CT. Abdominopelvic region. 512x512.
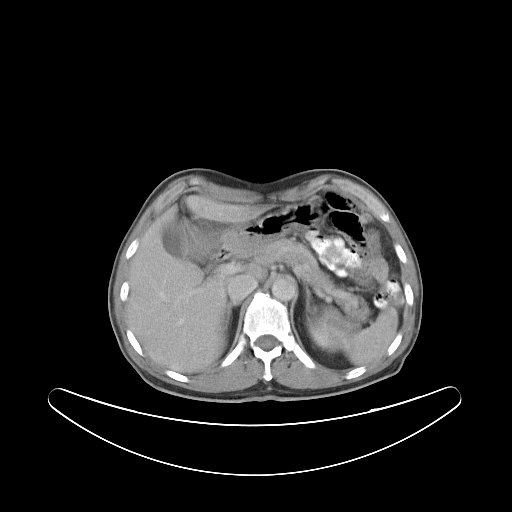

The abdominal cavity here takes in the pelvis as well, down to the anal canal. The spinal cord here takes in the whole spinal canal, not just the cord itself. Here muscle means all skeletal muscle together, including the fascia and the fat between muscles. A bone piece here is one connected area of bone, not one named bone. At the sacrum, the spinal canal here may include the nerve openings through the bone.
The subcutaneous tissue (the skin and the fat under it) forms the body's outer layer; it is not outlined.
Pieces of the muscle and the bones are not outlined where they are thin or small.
Outlines (x, y in pixels):
torso: (193, 167) (216, 169) (252, 181) (269, 181) (314, 168) (337, 168) (372, 185) (401, 222) (416, 253) (423, 284) (419, 333) (401, 369) (348, 393) (298, 401) (198, 401) (159, 391) (146, 383) (123, 356) (112, 329) (107, 308) (109, 277) (120, 242) (150, 192) (172, 173)
bones 1: (257, 291) (268, 293) (286, 306) (291, 331) (296, 342) (300, 349) (314, 361) (315, 368) (306, 367) (291, 351) (286, 353) (283, 350) (270, 362) (272, 378) (267, 381) (263, 378) (263, 361) (253, 354) (248, 344) (230, 364) (220, 366) (222, 360) (238, 342) (246, 309); inner edge: (263, 335) (271, 335) (272, 336) (273, 336) (275, 338) (276, 338) (277, 339) (277, 340) (279, 342) (279, 344) (278, 344) (277, 345) (274, 346) (271, 349) (270, 349) (269, 350) (264, 350) (259, 346) (256, 345) (256, 344) (255, 343) (256, 340) (260, 336) (262, 336)
bones 2: (332, 179) (339, 179) (344, 182) (357, 185) (366, 192) (371, 194) (378, 199) (386, 208) (390, 215) (390, 220) (388, 222) (385, 222) (378, 218) (372, 210) (359, 197) (347, 191) (344, 191) (337, 186) (336, 187) (330, 187) (330, 185) (332, 184) (331, 182)
bones 3: (178, 184) (182, 186) (182, 189) (181, 191) (179, 193) (171, 197) (167, 197) (165, 199) (165, 203) (164, 205) (160, 209) (157, 209) (156, 208) (156, 205) (158, 202) (158, 200) (164, 194) (165, 194) (166, 192) (167, 192) (175, 185) (177, 185)
bones 4: (128, 328) (129, 328) (131, 330) (131, 331) (135, 336) (137, 341) (139, 343) (139, 344) (140, 345) (140, 346) (144, 353) (144, 355) (140, 355) (134, 349) (134, 348) (131, 345) (131, 344) (127, 337) (127, 334) (126, 333) (126, 330)
bones 5: (406, 282) (407, 283) (408, 283) (410, 285) (410, 286) (411, 287) (411, 289) (412, 290) (412, 292) (413, 293) (413, 303) (411, 305) (408, 305) (406, 303) (405, 303) (405, 302) (404, 301) (404, 298) (405, 297) (405, 296) (404, 295) (404, 288) (403, 287) (403, 284)
bones 6: (360, 366) (365, 366) (365, 367) (366, 368) (365, 371) (362, 374) (361, 374) (356, 377) (354, 377) (353, 378) (350, 378) (349, 379) (347, 379) (344, 377) (344, 376) (348, 371) (349, 371) (351, 369) (352, 369) (353, 368) (356, 368) (357, 367) (359, 367)
bones 7: (165, 370) (172, 370) (173, 371) (174, 371) (175, 372) (177, 372) (180, 374) (185, 375) (188, 377) (188, 378) (190, 380) (190, 381) (189, 382) (184, 382) (183, 381) (179, 381) (176, 379) (174, 379) (173, 378) (170, 377) (168, 375) (167, 375) (164, 372) (164, 371)
bones 8: (398, 332) (400, 332) (401, 333) (401, 335) (402, 336) (401, 337) (401, 340) (400, 341) (400, 343) (398, 345) (398, 346) (396, 348) (396, 349) (390, 355) (388, 355) (387, 354) (387, 352) (386, 351) (387, 350) (388, 347) (390, 345) (390, 344) (396, 336) (396, 334)
bones 9: (394, 243) (398, 243) (402, 247) (402, 248) (405, 253) (406, 258) (407, 259) (407, 261) (406, 262) (406, 263) (403, 263) (402, 262) (401, 262) (400, 261) (400, 260) (398, 258) (398, 257) (396, 254) (396, 252) (394, 249) (394, 246) (393, 245) (394, 244)
bones 10: (134, 239) (138, 239) (139, 240) (139, 243) (137, 246) (137, 248) (136, 249) (135, 252) (131, 256) (131, 257) (130, 257) (129, 258) (126, 258) (126, 257) (125, 256) (125, 254) (126, 253) (126, 251) (127, 250) (127, 248) (129, 246) (129, 245) (131, 243) (131, 242)
bones 11: (125, 281) (127, 281) (128, 282) (128, 286) (129, 287) (129, 288) (128, 289) (128, 293) (127, 294) (127, 298) (125, 301) (123, 301) (122, 300) (121, 300) (121, 299) (120, 298) (120, 289) (121, 288) (121, 286) (122, 285) (122, 284) (123, 283) (123, 282) (124, 282)
muscle: (323, 174) (352, 180) (375, 196) (359, 185) (339, 178) (332, 178) (331, 184) (294, 201) (226, 201) (190, 190) (165, 205) (167, 198) (183, 189) (178, 183) (166, 191) (155, 205) (159, 211) (141, 237) (130, 242) (124, 254) (126, 259) (131, 259) (127, 280) (119, 289) (129, 326) (125, 330) (126, 337) (140, 356) (145, 353) (164, 369) (167, 376) (184, 383) (191, 381) (188, 376) (200, 374) (218, 364) (221, 368) (230, 365) (247, 345) (262, 361) (262, 378) (267, 382) (273, 378) (271, 362) (283, 351) (286, 354) (291, 352) (306, 368) (315, 369) (315, 361) (330, 369) (349, 370) (343, 376) (347, 380) (356, 378) (384, 352) (390, 356) (397, 349) (403, 336) (399, 330) (404, 304) (411, 306) (414, 303) (411, 285) (401, 279) (400, 262) (407, 263) (406, 253) (398, 242) (393, 244) (384, 225) (391, 220) (390, 213) (411, 254) (418, 286) (413, 332) (405, 349) (388, 366) (372, 375) (347, 384) (315, 389) (259, 382) (241, 390) (211, 393) (168, 383) (141, 368) (124, 345) (114, 312) (113, 289) (128, 238) (145, 210) (167, 185) (182, 176) (200, 175) (222, 186) (265, 196)
abdominal cavity: (327, 186) (359, 198) (383, 222) (399, 260) (401, 325) (381, 355) (350, 369) (319, 363) (297, 342) (287, 306) (260, 290) (245, 309) (236, 344) (213, 367) (186, 375) (165, 369) (144, 352) (126, 313) (128, 270) (140, 239) (162, 208) (190, 191) (226, 202) (294, 202)
spinal cord: (263, 335) (271, 335) (272, 336) (273, 336) (275, 338) (276, 338) (277, 339) (277, 340) (279, 342) (279, 344) (278, 344) (277, 345) (274, 346) (271, 349) (270, 349) (269, 350) (264, 350) (259, 346) (256, 345) (256, 344) (255, 343) (256, 340) (260, 336) (262, 336)